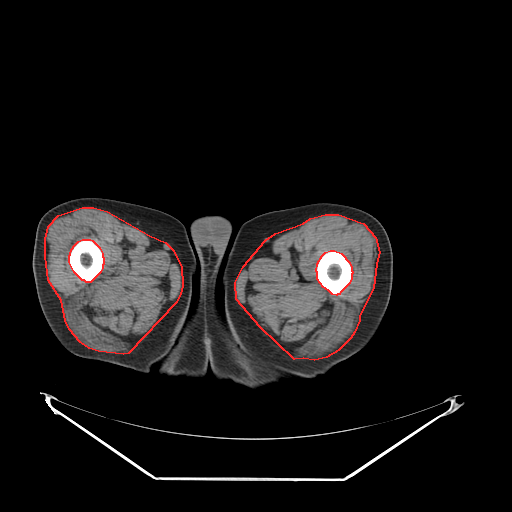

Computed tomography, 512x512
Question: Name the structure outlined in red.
Answer: red: muscle.
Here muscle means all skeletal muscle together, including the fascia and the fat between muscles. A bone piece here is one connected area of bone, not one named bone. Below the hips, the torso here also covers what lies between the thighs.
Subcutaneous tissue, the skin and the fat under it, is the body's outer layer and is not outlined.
{"muscle":[{"outer":[[325,214],[338,214],[363,223],[375,237],[379,252],[376,263],[373,288],[359,315],[359,320],[354,332],[350,338],[338,350],[326,357],[314,360],[303,358],[294,359],[260,327],[236,299],[235,282],[243,266],[265,240],[275,233],[303,223],[310,218]],"hole":[[330,250],[334,250],[341,253],[349,262],[351,267],[351,270],[352,271],[352,273],[351,274],[351,278],[349,283],[340,292],[339,294],[337,294],[336,295],[332,294],[328,290],[323,287],[317,279],[317,272],[316,271],[317,263],[322,255],[325,252]]},{"outer":[[82,207],[93,207],[107,211],[149,235],[165,242],[172,249],[181,266],[182,285],[180,294],[175,303],[128,353],[123,354],[98,351],[89,348],[80,342],[69,329],[65,320],[61,300],[48,280],[45,256],[45,239],[48,226],[58,215]],"hole":[[82,239],[90,239],[92,240],[99,247],[102,253],[102,256],[103,257],[103,264],[102,265],[102,268],[100,272],[90,282],[86,282],[84,280],[82,280],[74,272],[69,262],[69,255],[70,254],[71,249],[73,247],[73,246],[78,241]]}],"bones":[[[330,250],[334,250],[341,253],[349,262],[351,267],[351,270],[352,271],[352,273],[351,274],[351,278],[349,283],[340,292],[339,294],[337,294],[336,295],[332,294],[328,290],[323,287],[317,279],[317,272],[316,271],[317,263],[322,255],[325,252]],[[82,239],[90,239],[92,240],[99,247],[102,253],[102,256],[103,257],[103,264],[102,265],[102,268],[100,272],[90,282],[86,282],[84,280],[82,280],[74,272],[69,262],[69,255],[70,254],[71,249],[73,247],[73,246],[78,241]]],"left_leg":[[[317,202],[339,203],[362,209],[378,219],[386,230],[393,253],[393,280],[390,299],[377,331],[362,349],[335,365],[326,374],[315,378],[289,378],[260,389],[216,379],[209,369],[205,303],[216,290],[222,298],[221,278],[237,230],[242,223],[259,214]]],"torso":[[[214,214],[221,215],[228,218],[231,221],[233,228],[219,268],[216,289],[212,295],[205,302],[205,300],[198,294],[200,267],[199,266],[199,260],[196,258],[196,254],[193,247],[193,243],[189,235],[189,227],[191,222],[195,218],[204,215],[213,215]]],"right_leg":[[[80,197],[102,197],[151,207],[166,212],[183,223],[196,259],[193,301],[198,295],[204,300],[208,370],[203,378],[160,374],[156,365],[148,372],[140,372],[80,357],[68,351],[54,335],[40,307],[35,287],[32,270],[35,232],[39,219],[47,210]]]}